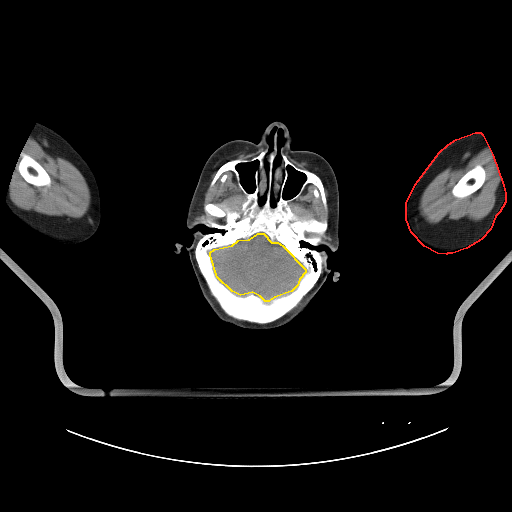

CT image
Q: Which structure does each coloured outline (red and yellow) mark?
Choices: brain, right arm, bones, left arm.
A: red: left arm; yellow: brain.
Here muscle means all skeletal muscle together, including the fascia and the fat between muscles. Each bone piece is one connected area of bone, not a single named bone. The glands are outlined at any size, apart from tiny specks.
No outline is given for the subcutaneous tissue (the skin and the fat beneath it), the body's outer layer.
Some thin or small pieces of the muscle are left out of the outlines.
{"left_arm":[[[475,132],[480,132],[482,134],[492,154],[503,185],[505,193],[505,202],[499,212],[495,216],[490,229],[481,239],[466,248],[452,253],[447,253],[446,254],[437,253],[424,246],[411,232],[406,219],[406,203],[415,184],[439,152],[448,144],[456,139]]],"brain":[[[258,233],[263,233],[271,242],[277,242],[282,245],[305,269],[305,272],[299,279],[297,285],[291,291],[274,297],[268,301],[265,301],[260,296],[252,292],[240,295],[232,291],[217,277],[210,255],[210,252],[214,249],[232,245],[238,240],[249,239]]],"head":[{"outer":[[274,121],[286,126],[293,150],[321,155],[334,171],[339,244],[335,251],[317,249],[339,277],[334,281],[331,271],[291,321],[247,329],[213,312],[188,251],[175,250],[176,243],[191,244],[191,233],[211,230],[186,224],[209,156],[231,140],[257,143]],"holes":[[[254,161],[257,161],[258,162],[257,168],[254,172],[254,184],[255,186],[254,187],[253,191],[252,192],[249,192],[246,190],[246,189],[241,183],[240,174],[237,169],[237,166],[240,164],[245,164],[246,163],[249,163],[250,162],[253,162]],[[288,166],[290,166],[297,172],[299,172],[303,174],[305,176],[305,179],[299,187],[299,189],[297,192],[293,196],[289,198],[284,198],[283,197],[283,192],[284,191],[284,189],[285,188],[285,186],[288,179],[288,176],[289,175],[288,169],[287,168]],[[273,128],[275,128],[277,130],[281,129],[283,131],[283,136],[284,137],[284,141],[279,152],[280,161],[279,164],[274,168],[273,166],[274,161],[278,153],[277,132],[276,131],[274,133],[273,147],[271,150],[269,150],[269,145],[267,139],[271,130]],[[264,194],[266,194],[266,199],[265,200],[265,201],[264,202],[264,203],[262,205],[259,205],[259,198],[260,197],[261,197]],[[271,194],[272,194],[273,195],[273,197],[275,199],[275,205],[274,206],[272,206],[271,205],[271,204],[270,203],[270,201],[271,200]]]}],"bones":[{"outer":[[276,137],[273,168],[280,164],[281,150],[297,167],[320,178],[326,197],[326,210],[309,183],[289,203],[291,210],[301,218],[326,220],[328,226],[317,247],[324,261],[313,287],[283,316],[256,323],[236,319],[221,308],[194,251],[202,234],[211,230],[203,220],[224,220],[205,212],[204,205],[217,203],[239,211],[245,198],[231,171],[223,183],[217,179],[210,186],[219,167],[230,160],[250,159],[267,148],[271,151]],"holes":[[[258,233],[263,233],[271,242],[277,242],[282,245],[305,269],[305,272],[299,279],[297,285],[291,291],[274,297],[268,301],[265,301],[260,296],[252,292],[240,295],[232,291],[217,277],[210,255],[210,252],[214,249],[232,245],[238,240],[249,239]],[[254,161],[257,161],[258,162],[257,168],[254,172],[254,184],[255,186],[254,187],[253,191],[252,192],[249,192],[246,190],[246,189],[241,183],[240,174],[237,169],[237,166],[240,164],[245,164],[246,163],[249,163],[250,162],[253,162]],[[288,166],[290,166],[297,172],[299,172],[303,174],[305,176],[305,179],[299,187],[299,189],[297,192],[293,196],[289,198],[284,198],[283,197],[283,192],[284,191],[284,189],[285,188],[285,186],[288,179],[288,176],[289,175],[288,169],[287,168]],[[264,194],[266,194],[266,199],[265,200],[265,201],[264,202],[264,203],[262,205],[259,205],[259,198],[260,197],[261,197]],[[271,194],[272,194],[273,195],[273,197],[275,199],[275,205],[274,206],[272,206],[271,205],[271,204],[270,203],[270,201],[271,200]]]},[[22,151],[23,151],[26,154],[29,155],[32,158],[33,158],[36,161],[37,161],[47,172],[51,179],[51,184],[49,186],[35,186],[27,182],[22,177],[18,170],[16,169],[16,165],[18,162],[18,160],[20,157],[20,154]],[[478,164],[481,165],[485,170],[485,180],[482,184],[482,185],[477,190],[476,190],[471,194],[465,197],[463,197],[462,198],[455,197],[452,194],[451,192],[451,190],[452,188],[460,179],[460,178],[466,172],[467,172],[470,169],[473,168],[476,165]]],"muscle":[[[29,136],[39,138],[54,147],[80,171],[89,187],[91,196],[90,207],[84,216],[78,219],[64,219],[35,211],[23,210],[13,203],[7,192],[15,168],[27,183],[35,187],[49,187],[52,184],[52,179],[44,167],[37,160],[22,150]],{"outer":[[484,147],[487,147],[490,150],[497,166],[497,169],[502,182],[502,186],[498,193],[494,206],[490,212],[485,217],[478,221],[468,221],[456,224],[452,223],[431,224],[427,222],[419,214],[418,210],[420,197],[427,185],[436,175],[467,153],[470,151]],"hole":[[478,164],[481,165],[485,170],[485,180],[482,184],[482,185],[477,190],[476,190],[471,194],[465,197],[463,197],[462,198],[455,197],[452,194],[451,192],[451,190],[452,188],[460,179],[460,178],[466,172],[467,172],[470,169],[473,168],[476,165]]},[[262,147],[264,149],[250,158],[234,158],[222,163],[209,183],[210,187],[217,180],[223,184],[228,179],[229,172],[231,172],[244,196],[239,210],[222,207],[217,202],[206,202],[203,205],[200,198],[213,166],[218,160],[237,152],[252,152]],[[285,153],[296,160],[306,161],[313,166],[319,168],[325,176],[329,186],[330,193],[331,223],[329,238],[322,238],[322,236],[329,226],[329,223],[326,219],[318,220],[314,217],[301,217],[292,210],[290,205],[292,201],[297,199],[301,195],[307,185],[311,184],[314,187],[312,189],[314,197],[320,197],[323,207],[327,211],[328,202],[324,184],[321,178],[313,171],[297,166],[288,158]],[[305,296],[305,297],[303,299],[303,300],[301,302],[301,303],[297,307],[296,307],[295,308],[295,309],[294,309],[292,311],[291,311],[290,312],[289,312],[291,310],[292,310],[299,303],[299,302]]],"right_arm":[[[38,122],[51,128],[60,134],[86,161],[97,181],[101,199],[102,213],[101,222],[97,231],[91,237],[82,242],[75,244],[61,244],[45,239],[36,234],[26,226],[10,210],[6,204],[6,196],[12,178],[12,174],[16,167],[20,154],[32,130]]],"parotid_glands":[[[199,202],[200,202],[202,204],[202,205],[203,206],[203,214],[202,214],[201,215],[200,215],[199,216],[198,215],[197,215],[197,214],[196,213],[196,210],[197,209],[197,208],[198,207],[198,205],[199,204]]]}